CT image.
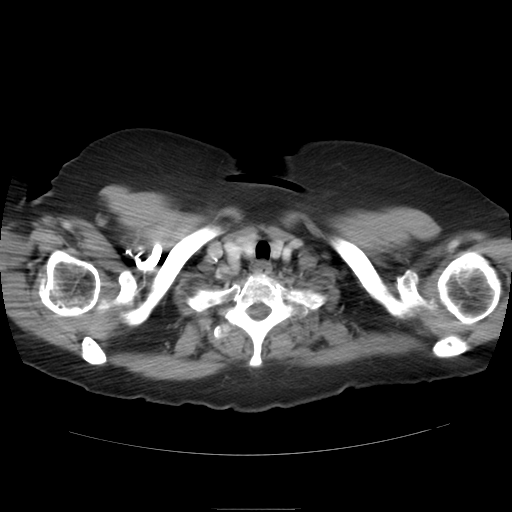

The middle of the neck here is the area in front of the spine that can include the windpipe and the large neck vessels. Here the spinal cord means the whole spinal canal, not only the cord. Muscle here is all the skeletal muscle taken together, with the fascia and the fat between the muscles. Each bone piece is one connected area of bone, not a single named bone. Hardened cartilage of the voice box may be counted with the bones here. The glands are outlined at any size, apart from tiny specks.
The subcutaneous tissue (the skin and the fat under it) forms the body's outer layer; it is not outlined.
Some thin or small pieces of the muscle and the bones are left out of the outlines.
The bones appear in 7 outlined pieces: piece 1: (255, 273) (288, 288) (312, 289) (326, 300) (305, 316) (294, 315) (276, 324) (262, 342) (261, 364) (252, 367) (248, 363) (253, 344) (243, 329) (231, 325) (224, 337) (213, 335) (213, 327) (225, 320) (219, 314) (222, 306) (198, 312) (185, 300) (198, 288) (221, 289); inner edge: (257, 303) (262, 303) (266, 306) (267, 306) (270, 309) (270, 311) (269, 312) (269, 313) (264, 318) (263, 318) (262, 319) (254, 319) (253, 318) (252, 318) (248, 314) (248, 313) (247, 312) (247, 309) (249, 307) (250, 307) (252, 305) (253, 305) (254, 304) (256, 304); piece 2: (57, 249) (90, 262) (97, 269) (101, 283) (98, 304) (102, 299) (110, 302) (115, 298) (120, 290) (118, 277) (122, 271) (129, 270) (138, 290) (132, 303) (114, 305) (102, 311) (94, 307) (76, 316) (60, 316) (47, 308) (38, 294) (40, 271) (44, 271) (48, 257); piece 3: (466, 251) (476, 251) (482, 256) (486, 258) (488, 260) (489, 263) (495, 269) (497, 275) (501, 282) (500, 296) (497, 305) (494, 309) (485, 317) (471, 324) (462, 323) (445, 307) (440, 301) (439, 293) (437, 289) (437, 281) (438, 278) (445, 267) (452, 260) (457, 258); piece 4: (336, 236) (352, 242) (366, 255) (390, 292) (397, 298) (397, 277) (408, 269) (415, 272) (418, 277) (418, 292) (427, 300) (433, 298) (437, 308) (428, 310) (414, 307) (414, 315) (404, 319) (391, 315) (370, 296) (351, 268) (332, 247) (330, 240); piece 5: (208, 224) (219, 225) (224, 230) (224, 232) (206, 242) (187, 259) (174, 278) (174, 280) (165, 294) (151, 311) (146, 320) (136, 326) (130, 326) (124, 323) (122, 321) (121, 313) (124, 311) (136, 308) (146, 298) (154, 277) (164, 265) (166, 258) (172, 248) (186, 235); piece 6: (451, 334) (457, 335) (459, 336) (463, 340) (464, 340) (468, 344) (469, 346) (469, 349) (455, 356) (452, 356) (451, 357) (445, 357) (444, 358) (437, 357) (433, 353) (432, 351) (432, 348) (434, 344) (436, 342) (436, 341) (437, 341) (439, 339) (443, 338); piece 7: (85, 336) (89, 336) (91, 337) (98, 343) (100, 347) (105, 353) (105, 355) (106, 356) (106, 361) (105, 363) (103, 364) (101, 364) (100, 365) (93, 365) (92, 364) (90, 364) (82, 358) (81, 356) (81, 342) (83, 338). The spinal cord is outlined by (257, 303) (262, 303) (266, 306) (267, 306) (270, 309) (270, 311) (269, 312) (269, 313) (264, 318) (263, 318) (262, 319) (254, 319) (253, 318) (252, 318) (248, 314) (248, 313) (247, 312) (247, 309) (249, 307) (250, 307) (252, 305) (253, 305) (254, 304) (256, 304). The torso is outlined by (128, 127) (225, 148) (240, 160) (244, 173) (231, 178) (238, 181) (291, 188) (284, 155) (308, 140) (343, 138) (391, 147) (475, 186) (453, 247) (446, 300) (472, 375) (347, 388) (255, 413) (115, 398) (65, 381) (83, 349) (90, 284) (56, 208) (52, 178) (89, 142). The left arm is outlined by (476, 187) (493, 201) (504, 207) (508, 213) (508, 221) (511, 236) (511, 277) (509, 280) (509, 290) (508, 291) (507, 303) (505, 308) (505, 313) (496, 343) (484, 370) (473, 375) (466, 352) (447, 305) (447, 300) (448, 299) (448, 292) (449, 291) (454, 247). The middle of the neck is outlined by (271, 231) (285, 233) (288, 241) (295, 240) (299, 243) (289, 267) (274, 273) (272, 277) (264, 272) (255, 272) (243, 278) (231, 279) (224, 273) (224, 265) (210, 260) (206, 254) (212, 244) (235, 239) (241, 251) (250, 258) (257, 245) (259, 237) (257, 233) (267, 236); inner edge: (279, 241) (283, 241) (283, 242) (282, 243) (282, 245) (281, 246) (281, 252) (280, 253) (280, 255) (278, 257) (277, 257) (276, 258) (272, 258) (271, 257) (271, 250) (270, 249) (270, 246) (269, 245) (269, 244) (268, 243) (270, 243) (271, 242) (278, 242). The thyroid glands appear in 2 outlined pieces: piece 1: (251, 233) (256, 233) (258, 237) (256, 240) (256, 245) (253, 251) (253, 254) (252, 256) (250, 257) (248, 257) (246, 256) (245, 253) (243, 251) (242, 251) (242, 247) (241, 245) (236, 240) (236, 239) (241, 236) (245, 236); piece 2: (279, 241) (283, 241) (283, 242) (282, 243) (282, 245) (281, 246) (281, 252) (280, 253) (280, 255) (278, 257) (277, 257) (276, 258) (272, 258) (271, 257) (271, 250) (270, 249) (270, 246) (269, 245) (269, 244) (268, 243) (270, 243) (271, 242) (278, 242). The right arm is outlined by (16, 172) (29, 180) (27, 191) (28, 199) (35, 198) (47, 191) (50, 188) (51, 179) (55, 208) (89, 284) (88, 305) (82, 349) (64, 380) (51, 377) (23, 362) (13, 337) (8, 316) (6, 313) (2, 276) (0, 273) (0, 231) (2, 228) (8, 191) (13, 176). The muscle is outlined by (111, 183) (171, 194) (188, 206) (236, 204) (259, 214) (297, 204) (321, 212) (405, 205) (429, 214) (449, 232) (474, 229) (492, 237) (511, 237) (511, 277) (499, 335) (470, 349) (459, 335) (448, 334) (433, 344) (436, 357) (408, 353) (323, 367) (272, 365) (252, 371) (233, 367) (182, 381) (96, 366) (105, 364) (107, 356) (91, 336) (80, 342) (81, 358) (29, 335) (6, 312) (0, 231) (10, 223) (31, 223) (44, 214) (91, 220) (98, 192); inner edges: (271, 231) (299, 243) (289, 267) (272, 277) (326, 300) (276, 324) (262, 342) (261, 364) (252, 367) (253, 344) (243, 329) (231, 325) (224, 337) (213, 335) (225, 320) (222, 306) (198, 312) (185, 300) (198, 288) (244, 279) (231, 279) (221, 262) (210, 260) (212, 244), then (57, 249) (90, 262) (97, 269) (101, 283) (98, 304) (102, 299) (110, 302) (115, 298) (120, 290) (118, 277) (122, 271) (129, 270) (138, 290) (132, 303) (114, 305) (102, 311) (94, 307) (76, 316) (60, 316) (47, 308) (38, 294) (40, 271) (44, 271) (48, 257), then (466, 251) (476, 251) (482, 256) (486, 258) (488, 260) (489, 263) (495, 269) (497, 275) (501, 282) (500, 296) (497, 305) (494, 309) (485, 317) (471, 324) (462, 323) (445, 307) (440, 301) (439, 293) (437, 289) (437, 281) (438, 278) (445, 267) (452, 260) (457, 258), then (336, 236) (352, 242) (366, 255) (390, 292) (397, 298) (397, 277) (408, 269) (415, 272) (418, 277) (418, 292) (427, 300) (433, 298) (437, 308) (428, 310) (414, 307) (414, 315) (404, 319) (391, 315) (370, 296) (351, 268) (332, 247) (330, 240), then (208, 224) (219, 225) (224, 230) (224, 232) (206, 242) (187, 259) (174, 278) (174, 280) (165, 294) (151, 311) (146, 320) (136, 326) (130, 326) (124, 323) (122, 321) (121, 313) (124, 311) (136, 308) (146, 298) (154, 277) (164, 265) (166, 258) (172, 248) (186, 235).